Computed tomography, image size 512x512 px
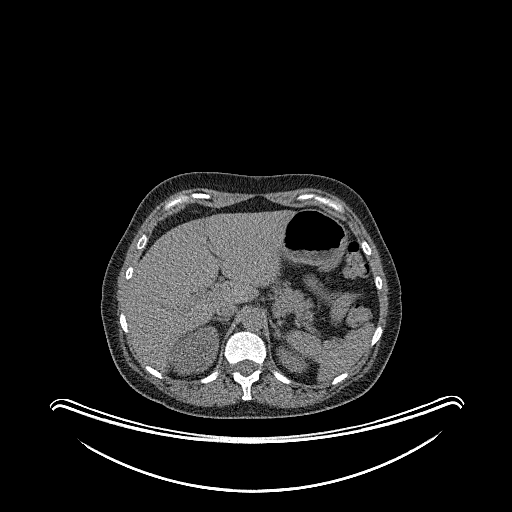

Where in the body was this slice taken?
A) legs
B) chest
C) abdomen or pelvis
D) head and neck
C) abdomen or pelvis
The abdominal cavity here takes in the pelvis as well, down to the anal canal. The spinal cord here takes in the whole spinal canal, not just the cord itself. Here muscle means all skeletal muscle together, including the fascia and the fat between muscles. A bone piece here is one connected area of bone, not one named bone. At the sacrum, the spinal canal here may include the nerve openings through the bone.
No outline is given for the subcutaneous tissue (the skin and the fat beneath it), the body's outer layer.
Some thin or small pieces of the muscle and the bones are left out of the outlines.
Outlines (x, y in pixels):
abdominal cavity: [[255,197],[292,207],[321,205],[347,220],[377,290],[377,325],[363,355],[331,380],[304,383],[280,371],[267,357],[261,337],[235,331],[225,342],[223,359],[199,379],[174,378],[146,364],[130,335],[126,303],[128,284],[154,227],[187,204],[218,208]]
torso: [[196,171],[245,175],[319,174],[345,183],[362,197],[393,259],[401,286],[402,306],[401,324],[393,350],[380,376],[364,394],[337,407],[305,415],[211,418],[170,409],[138,393],[124,380],[110,354],[100,313],[101,287],[107,264],[144,196],[168,177]]
spinal cord: [[243,360],[250,360],[251,361],[254,362],[256,364],[256,368],[251,373],[250,373],[248,375],[243,375],[242,374],[241,374],[237,370],[236,370],[236,368],[235,367],[236,364],[237,363],[238,363],[239,362],[240,362]]
bones 1: [[235,332],[251,332],[261,338],[265,344],[266,357],[262,366],[262,370],[259,379],[254,382],[250,387],[250,394],[252,398],[251,400],[242,400],[243,390],[241,386],[233,379],[232,377],[232,369],[224,356],[224,350],[225,349],[226,342],[229,337]]; inner edge: [[243,360],[250,360],[251,361],[254,362],[256,364],[256,368],[251,373],[250,373],[248,375],[243,375],[242,374],[241,374],[237,370],[236,370],[236,368],[235,367],[236,364],[237,363],[238,363],[239,362],[240,362]]
bones 2: [[304,193],[314,193],[315,194],[329,198],[331,200],[341,204],[344,209],[344,212],[343,213],[339,213],[330,207],[328,207],[325,205],[322,205],[321,204],[317,204],[316,202],[312,199],[297,200],[296,199],[296,197],[298,195],[300,194],[303,194]]
bones 3: [[195,192],[201,192],[202,193],[207,193],[209,194],[211,197],[209,199],[206,199],[205,198],[196,198],[195,199],[193,199],[190,203],[182,203],[178,206],[176,206],[166,211],[163,209],[164,205],[167,202],[174,199],[176,197],[180,195],[189,195]]
bones 4: [[378,325],[380,325],[382,327],[382,334],[381,335],[381,336],[379,338],[379,339],[372,346],[371,346],[370,345],[370,342],[371,341],[371,339],[372,338],[372,336],[373,335],[373,334],[374,333],[374,331],[375,330],[375,329],[376,328],[376,327]]
bones 5: [[272,369],[273,369],[274,370],[276,370],[277,371],[278,371],[280,373],[283,374],[286,377],[287,377],[289,379],[290,379],[291,380],[291,382],[290,383],[284,383],[283,382],[282,382],[280,380],[277,379],[272,373],[272,372],[271,371],[271,370]]
bones 6: [[216,369],[217,369],[219,371],[219,373],[218,374],[217,377],[215,379],[214,379],[209,382],[207,382],[206,383],[202,383],[201,382],[200,382],[200,379],[201,379],[202,378],[203,378],[204,377],[207,376],[209,374],[210,374],[212,372],[213,372]]
bones 7: [[143,234],[145,234],[147,236],[147,237],[148,238],[148,239],[147,240],[147,242],[146,243],[146,245],[145,246],[145,247],[143,249],[142,249],[141,250],[140,250],[139,249],[138,249],[136,247],[136,244],[137,243],[137,241],[138,240],[138,239]]
bones 8: [[122,312],[123,313],[124,313],[124,314],[125,315],[125,317],[126,318],[126,321],[127,322],[127,325],[128,326],[128,329],[129,330],[128,333],[126,333],[123,330],[123,329],[122,328],[122,327],[120,324],[120,322],[119,321],[119,315]]
bones 9: [[145,365],[148,365],[149,366],[152,367],[154,369],[157,370],[159,372],[160,372],[162,374],[162,378],[159,378],[158,377],[157,377],[156,376],[155,376],[154,375],[151,374],[148,371],[147,371],[145,369]]
bones 10: [[363,240],[364,240],[365,241],[366,241],[367,242],[367,243],[369,245],[369,246],[370,247],[370,248],[371,249],[371,254],[370,255],[366,255],[364,253],[364,252],[363,251],[363,250],[362,249],[362,248],[361,247],[361,246],[360,245],[360,243]]
bones 11: [[344,372],[347,372],[348,373],[347,374],[347,376],[344,379],[343,379],[341,381],[340,381],[339,382],[338,382],[335,384],[332,384],[331,383],[331,381],[335,377],[336,377],[338,375],[339,375],[340,374],[341,374]]
muscle: [[308,187],[342,199],[359,218],[380,256],[388,286],[388,314],[369,370],[318,403],[286,408],[252,400],[251,387],[260,379],[266,358],[279,370],[272,368],[273,376],[284,384],[293,380],[310,385],[330,381],[335,385],[344,380],[368,346],[372,347],[383,334],[383,327],[378,324],[378,291],[382,289],[383,282],[372,272],[367,257],[372,254],[370,245],[355,235],[342,215],[345,209],[341,203],[314,192],[304,192],[295,199],[312,200],[316,204],[292,206],[255,196],[214,207],[191,203],[212,197],[201,191],[180,194],[167,201],[162,207],[166,212],[186,204],[160,219],[149,237],[143,233],[137,239],[135,247],[142,251],[135,266],[129,265],[124,272],[124,278],[129,282],[125,314],[122,311],[118,321],[122,330],[126,334],[129,332],[135,353],[151,375],[162,379],[163,374],[206,384],[218,377],[220,371],[216,368],[224,358],[231,369],[232,379],[242,390],[241,400],[223,406],[186,403],[158,389],[132,369],[120,346],[116,322],[117,277],[135,234],[151,211],[173,193],[191,188],[268,193]]